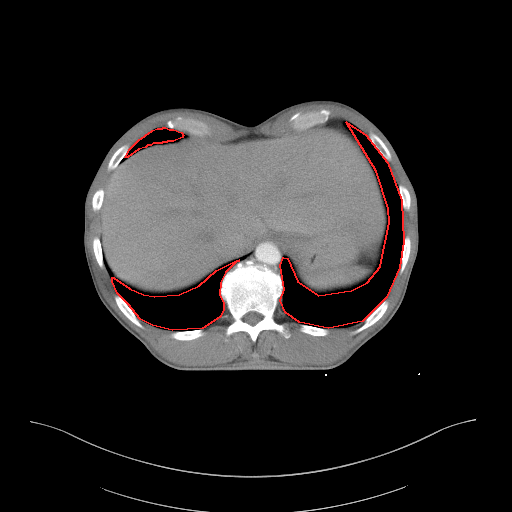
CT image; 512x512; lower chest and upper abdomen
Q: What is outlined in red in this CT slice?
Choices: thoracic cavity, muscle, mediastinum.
A: red: thoracic cavity.
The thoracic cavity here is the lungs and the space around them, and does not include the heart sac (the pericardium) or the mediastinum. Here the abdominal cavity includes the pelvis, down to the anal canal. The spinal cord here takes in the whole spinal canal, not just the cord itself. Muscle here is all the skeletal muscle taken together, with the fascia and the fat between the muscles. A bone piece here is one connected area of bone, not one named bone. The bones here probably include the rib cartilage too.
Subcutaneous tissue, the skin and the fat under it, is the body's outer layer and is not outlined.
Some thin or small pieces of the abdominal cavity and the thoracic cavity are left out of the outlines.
{"thoracic_cavity":[[[346,122],[365,134],[387,162],[401,200],[403,241],[399,267],[386,297],[362,321],[328,328],[299,322],[285,312],[280,300],[284,289],[280,265],[283,257],[287,258],[297,281],[318,295],[351,290],[367,282],[380,266],[389,222],[388,208],[376,171]],[[236,260],[239,260],[236,261],[225,272],[220,282],[219,294],[223,303],[223,310],[219,317],[202,328],[172,330],[152,325],[140,319],[128,304],[117,293],[112,281],[112,277],[113,277],[129,288],[143,294],[154,296],[179,294],[199,285],[216,270]],[[163,127],[165,127],[169,129],[173,129],[181,132],[183,135],[182,137],[173,141],[167,141],[166,142],[162,142],[161,143],[153,143],[150,145],[147,145],[145,147],[138,149],[127,157],[125,157],[130,148],[138,140],[152,130],[157,128],[162,128]]],"muscle":[{"outer":[[313,103],[331,103],[332,104],[336,104],[345,107],[355,112],[366,120],[381,135],[392,151],[401,169],[401,171],[409,185],[414,202],[415,245],[414,246],[414,252],[412,256],[412,259],[410,262],[408,272],[406,275],[406,278],[401,293],[395,305],[387,316],[374,329],[364,336],[343,356],[339,359],[327,364],[321,364],[320,365],[317,365],[316,364],[310,364],[309,365],[292,365],[291,364],[281,362],[280,363],[268,363],[267,364],[232,364],[231,363],[226,363],[225,364],[207,365],[206,366],[185,366],[184,365],[176,364],[164,358],[152,347],[145,338],[132,328],[110,305],[103,295],[99,287],[93,269],[92,261],[90,257],[90,254],[87,245],[87,230],[88,229],[87,210],[88,209],[88,203],[89,202],[89,198],[91,192],[103,166],[115,147],[132,130],[146,120],[162,113],[166,113],[172,111],[190,111],[191,112],[199,113],[209,116],[221,122],[223,122],[235,129],[253,130],[254,129],[258,129],[269,123],[273,122],[280,116],[292,109],[294,109],[302,105],[312,104]],"hole":[[321,109],[330,111],[329,120],[346,120],[367,136],[376,134],[391,154],[387,164],[393,179],[409,192],[409,209],[402,210],[409,256],[403,271],[396,273],[382,316],[355,334],[351,332],[363,320],[329,327],[324,336],[311,335],[299,329],[301,323],[285,312],[280,300],[273,318],[290,336],[265,329],[254,342],[244,331],[225,334],[233,321],[225,304],[219,317],[202,328],[204,334],[189,340],[172,338],[171,329],[141,319],[143,328],[132,322],[118,307],[112,276],[105,265],[99,266],[93,251],[93,239],[100,237],[100,211],[93,209],[92,198],[98,189],[106,189],[114,152],[125,144],[131,147],[178,116],[202,121],[212,136],[232,140],[277,134],[296,112]]}],"spinal_cord":[[[248,312],[257,312],[258,313],[259,313],[262,316],[262,317],[261,318],[261,319],[260,320],[259,320],[255,324],[254,324],[253,325],[251,325],[250,324],[249,324],[247,322],[246,322],[243,320],[243,317],[244,316],[244,315],[245,314],[246,314]]],"torso":[[[312,99],[341,101],[369,118],[391,142],[414,187],[419,245],[399,308],[377,334],[347,361],[333,369],[182,371],[162,363],[104,306],[96,293],[86,262],[83,245],[84,200],[105,154],[134,123],[164,108],[198,108],[242,124],[254,125],[285,107]]],"mediastinum":[[[264,239],[273,239],[276,240],[280,243],[283,248],[283,254],[281,257],[282,258],[279,265],[279,272],[270,268],[266,265],[256,262],[255,260],[252,258],[245,258],[243,259],[245,256],[249,254],[250,252],[251,252],[252,250],[256,247],[257,242]]],"abdominal_cavity":[[[339,119],[348,121],[345,127],[358,139],[387,208],[383,254],[367,281],[333,293],[309,291],[273,238],[257,241],[244,257],[179,293],[143,293],[110,274],[100,210],[112,171],[124,158],[179,140],[182,132],[232,140],[277,134],[289,123],[302,130]]],"bones":[{"outer":[[245,259],[252,259],[256,263],[280,274],[283,289],[273,318],[288,329],[290,334],[288,338],[270,329],[262,330],[254,342],[244,331],[237,331],[228,336],[225,334],[225,330],[233,321],[233,317],[221,298],[221,282],[226,272],[236,262]],"hole":[[248,312],[257,312],[258,313],[259,313],[262,316],[262,317],[261,318],[261,319],[260,320],[259,320],[255,324],[254,324],[253,325],[251,325],[250,324],[249,324],[247,322],[246,322],[243,320],[243,317],[244,316],[244,315],[245,314],[246,314]]},[[321,109],[327,109],[330,111],[329,118],[328,120],[324,123],[318,123],[314,125],[311,125],[310,126],[305,127],[302,129],[295,129],[292,127],[291,124],[288,120],[289,118],[296,112],[308,112],[309,111],[317,111]],[[178,116],[181,116],[183,118],[192,118],[193,119],[199,120],[204,122],[209,128],[210,134],[208,134],[207,135],[198,135],[194,133],[190,133],[186,131],[180,131],[173,128],[169,128],[168,127],[166,127],[166,122],[167,121],[169,120],[174,120]],[[386,298],[388,299],[389,302],[388,303],[388,306],[386,310],[382,315],[382,316],[372,325],[367,327],[365,329],[355,334],[351,334],[351,332],[357,329],[360,326],[362,325],[362,324],[364,322],[364,320],[377,307],[378,307],[380,305],[380,304]],[[116,294],[117,294],[127,304],[127,305],[132,310],[132,311],[135,314],[135,315],[139,319],[141,324],[143,326],[143,328],[141,328],[139,327],[133,322],[132,322],[121,311],[121,310],[118,307],[115,301],[115,299],[114,298],[114,296]],[[370,132],[372,132],[373,133],[376,134],[382,140],[382,141],[385,144],[385,145],[387,147],[387,148],[389,150],[389,151],[391,154],[391,160],[390,161],[387,161],[386,160],[386,159],[372,145],[372,144],[370,142],[370,141],[368,138],[368,134]],[[196,329],[203,329],[203,330],[204,331],[204,334],[202,336],[200,336],[199,337],[198,337],[197,338],[195,338],[194,339],[190,339],[189,340],[178,340],[177,339],[172,338],[170,336],[170,333],[172,331],[184,331],[185,330],[195,330]],[[125,144],[127,144],[130,146],[128,151],[126,153],[124,157],[121,160],[121,161],[119,162],[117,166],[114,169],[112,170],[108,170],[107,166],[108,165],[108,163],[109,162],[110,158],[112,156],[114,152],[118,148],[119,148],[121,146]],[[405,236],[408,236],[410,239],[410,251],[409,252],[409,256],[408,257],[408,259],[407,260],[406,265],[403,271],[400,274],[398,272],[398,270],[400,267],[400,264],[401,263],[401,254],[402,253],[402,248],[403,247],[403,242],[404,241],[404,237]],[[301,323],[302,324],[306,324],[307,325],[310,325],[311,326],[314,326],[315,327],[320,327],[321,328],[327,328],[329,330],[329,332],[328,334],[324,336],[318,336],[317,335],[311,335],[310,334],[308,334],[307,333],[302,332],[299,329],[299,325]],[[94,237],[98,237],[101,243],[101,249],[102,250],[102,254],[103,255],[103,260],[104,261],[104,264],[105,265],[103,268],[101,268],[99,266],[96,260],[96,258],[95,257],[95,255],[93,251],[93,239]],[[400,184],[401,185],[403,185],[408,190],[408,191],[409,192],[409,195],[410,196],[410,206],[409,207],[409,209],[408,210],[404,210],[403,209],[402,200],[401,199],[401,196],[400,195],[400,192],[399,191],[399,188],[398,187],[398,185],[399,185]],[[101,188],[104,190],[104,193],[103,194],[103,201],[102,202],[102,204],[101,205],[101,207],[100,208],[100,209],[99,210],[97,210],[96,211],[95,211],[92,207],[92,198],[93,197],[93,195],[94,194],[94,193],[98,189],[100,189]]]}